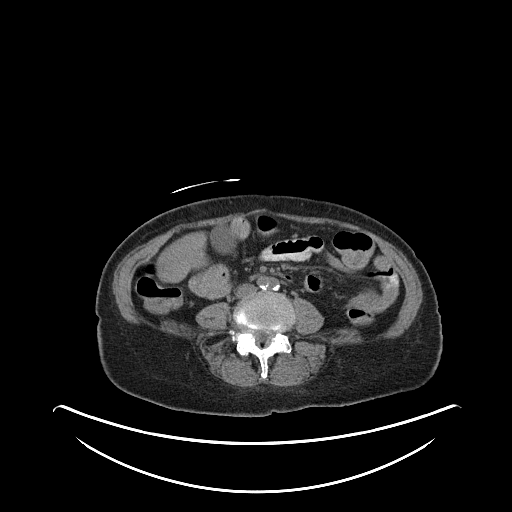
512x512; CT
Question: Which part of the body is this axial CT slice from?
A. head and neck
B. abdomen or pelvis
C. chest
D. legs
Answer: B. abdomen or pelvis
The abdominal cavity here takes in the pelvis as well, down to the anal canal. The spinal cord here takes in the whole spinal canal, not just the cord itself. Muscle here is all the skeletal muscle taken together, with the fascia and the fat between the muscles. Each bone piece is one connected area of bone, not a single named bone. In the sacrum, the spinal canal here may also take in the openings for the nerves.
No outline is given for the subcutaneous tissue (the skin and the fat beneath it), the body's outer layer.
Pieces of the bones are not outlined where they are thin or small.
{"muscle":[{"outer":[[258,208],[266,208],[275,212],[301,216],[326,217],[351,223],[376,234],[399,249],[415,269],[423,293],[422,301],[416,316],[408,329],[394,339],[336,347],[322,373],[308,384],[298,387],[278,387],[262,383],[257,387],[239,387],[231,385],[210,373],[196,355],[192,344],[188,340],[167,335],[147,325],[133,324],[124,319],[115,301],[112,291],[112,282],[117,265],[127,253],[178,224],[220,217],[236,212],[247,212]],"hole":[[258,213],[369,235],[402,279],[395,320],[374,335],[355,327],[320,330],[324,316],[295,297],[285,331],[291,351],[267,359],[264,379],[258,357],[239,354],[231,339],[229,331],[240,328],[227,302],[204,306],[196,325],[141,314],[134,274],[174,234]]}],"torso":[[[248,193],[296,195],[342,204],[377,219],[411,246],[434,286],[443,334],[441,359],[434,375],[424,385],[351,405],[237,417],[170,409],[129,395],[110,382],[98,357],[98,318],[94,311],[99,278],[110,254],[136,227],[161,212],[201,199]]],"spinal_cord":[[[255,330],[262,330],[265,332],[269,332],[270,331],[271,331],[274,333],[273,334],[273,336],[272,336],[271,337],[270,340],[268,342],[266,342],[265,343],[263,343],[262,344],[258,344],[256,342],[256,340],[255,339],[255,337],[253,334],[253,332]]],"abdominal_cavity":[[[258,213],[369,235],[402,279],[395,320],[374,335],[355,327],[320,330],[325,318],[310,301],[295,297],[291,302],[279,292],[246,295],[232,312],[225,301],[208,304],[195,314],[196,325],[172,319],[156,323],[141,314],[132,298],[134,274],[174,234]]],"bones":[{"outer":[[257,293],[283,294],[291,303],[295,316],[294,322],[285,331],[291,351],[277,352],[267,359],[267,377],[264,379],[261,377],[258,357],[252,353],[239,354],[236,343],[232,341],[229,333],[230,330],[238,331],[240,329],[233,318],[236,305],[246,296]],"hole":[[255,330],[262,330],[265,332],[269,332],[270,331],[271,331],[274,333],[273,334],[273,336],[272,336],[271,337],[270,340],[268,342],[266,342],[265,343],[263,343],[262,344],[258,344],[256,342],[256,340],[255,339],[255,337],[253,334],[253,332]]}]}